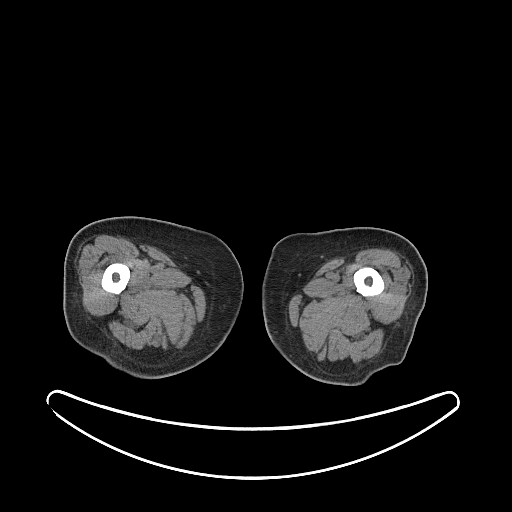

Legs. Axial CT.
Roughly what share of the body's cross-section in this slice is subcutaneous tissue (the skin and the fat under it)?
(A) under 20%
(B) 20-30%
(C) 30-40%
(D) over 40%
(D) over 40%
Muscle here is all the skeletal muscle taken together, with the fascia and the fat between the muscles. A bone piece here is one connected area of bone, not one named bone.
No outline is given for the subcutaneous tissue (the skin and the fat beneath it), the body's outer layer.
The muscle appears in 2 outlined pieces: piece 1: (97, 234) (120, 235) (130, 240) (138, 240) (145, 244) (155, 246) (163, 252) (174, 254) (180, 262) (191, 271) (207, 293) (208, 320) (202, 335) (178, 355) (160, 366) (145, 365) (125, 357) (86, 315) (82, 305) (82, 289) (76, 273) (75, 260) (82, 241) (87, 237); inner edge: (113, 263) (120, 263) (121, 264) (124, 264) (129, 268) (129, 271) (130, 272) (130, 276) (129, 277) (128, 283) (126, 285) (125, 288) (124, 288) (120, 293) (112, 293) (111, 292) (105, 291) (101, 285) (102, 276) (104, 271) (106, 268) (110, 265) (110, 264) (112, 264); piece 2: (374, 247) (394, 250) (408, 261) (412, 267) (414, 277) (412, 289) (413, 293) (404, 309) (397, 329) (384, 350) (370, 366) (363, 371) (351, 374) (333, 374) (323, 371) (300, 355) (290, 339) (286, 325) (288, 302) (291, 296) (301, 289) (312, 269) (319, 262) with a hole at (367, 266) (368, 267) (375, 269) (381, 275) (381, 276) (383, 278) (383, 280) (385, 282) (383, 291) (375, 296) (363, 296) (359, 293) (356, 292) (355, 290) (355, 284) (353, 282) (353, 280) (354, 279) (354, 274) (357, 270) (360, 269) (362, 267) (366, 267). The bones appear in 2 outlined pieces: piece 1: (367, 266) (368, 267) (375, 269) (381, 275) (381, 276) (383, 278) (383, 280) (385, 282) (383, 291) (375, 296) (363, 296) (359, 293) (356, 292) (355, 290) (355, 284) (353, 282) (353, 280) (354, 279) (354, 274) (357, 270) (360, 269) (362, 267) (366, 267); piece 2: (113, 263) (120, 263) (121, 264) (124, 264) (129, 268) (129, 271) (130, 272) (130, 276) (129, 277) (128, 283) (126, 285) (125, 288) (124, 288) (120, 293) (112, 293) (111, 292) (105, 291) (101, 285) (102, 276) (104, 271) (106, 268) (110, 265) (110, 264) (112, 264). The right leg is outlined by (114, 216) (142, 216) (155, 218) (208, 231) (223, 240) (237, 259) (243, 277) (243, 298) (239, 314) (222, 345) (210, 357) (198, 365) (166, 377) (140, 379) (114, 369) (101, 357) (81, 347) (70, 336) (63, 313) (64, 259) (68, 244) (73, 235) (83, 226) (96, 220). The left leg is outlined by (358, 226) (370, 226) (391, 230) (404, 236) (413, 243) (427, 268) (427, 295) (405, 358) (401, 363) (388, 366) (376, 372) (360, 385) (328, 384) (312, 379) (300, 372) (274, 347) (264, 324) (261, 308) (261, 284) (271, 249) (275, 243) (284, 236) (296, 232) (318, 232).